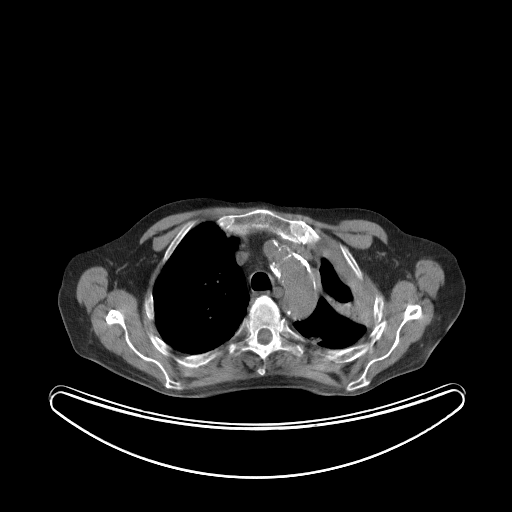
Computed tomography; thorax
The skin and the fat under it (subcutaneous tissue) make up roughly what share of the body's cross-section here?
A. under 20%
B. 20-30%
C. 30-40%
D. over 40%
B. 20-30%
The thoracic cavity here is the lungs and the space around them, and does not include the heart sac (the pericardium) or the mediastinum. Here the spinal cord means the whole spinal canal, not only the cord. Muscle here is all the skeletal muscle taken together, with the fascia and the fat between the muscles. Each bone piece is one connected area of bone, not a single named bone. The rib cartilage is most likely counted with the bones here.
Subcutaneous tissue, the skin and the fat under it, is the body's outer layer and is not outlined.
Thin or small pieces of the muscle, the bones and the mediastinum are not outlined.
{"mediastinum":[[[252,231],[267,231],[284,240],[308,245],[312,248],[316,260],[314,277],[317,302],[306,318],[296,320],[290,325],[287,319],[282,316],[276,302],[266,294],[257,296],[249,305],[250,296],[246,279],[234,256],[239,241],[234,236],[227,236],[244,235]]],"spinal_cord":[[[261,329],[267,329],[268,330],[269,330],[269,331],[271,333],[271,339],[267,343],[261,343],[260,342],[259,342],[259,341],[258,340],[258,333],[259,332],[259,331]]],"muscle":[{"outer":[[212,206],[265,206],[277,211],[307,215],[330,224],[336,224],[345,219],[364,219],[377,223],[386,232],[388,241],[386,244],[376,241],[364,252],[361,265],[386,294],[398,280],[415,267],[416,262],[421,258],[431,258],[442,267],[444,284],[440,288],[438,305],[431,323],[426,327],[422,337],[413,343],[401,358],[379,372],[371,381],[367,377],[371,365],[391,354],[399,343],[403,326],[408,321],[422,317],[421,305],[408,303],[390,347],[385,353],[370,359],[361,373],[346,384],[345,389],[300,376],[264,375],[266,373],[264,363],[256,370],[261,376],[259,377],[183,389],[182,383],[172,378],[159,360],[145,355],[136,348],[129,337],[124,315],[118,309],[110,308],[104,317],[105,322],[109,326],[118,324],[123,330],[124,339],[129,348],[141,359],[159,368],[164,377],[164,387],[162,386],[154,377],[132,366],[101,344],[77,301],[77,282],[86,269],[92,266],[102,266],[118,288],[132,293],[141,302],[155,265],[154,261],[159,254],[152,249],[149,240],[139,243],[143,233],[155,222],[168,215]],"hole":[[256,208],[304,221],[319,234],[318,246],[340,254],[339,243],[348,248],[362,274],[357,281],[372,300],[378,292],[384,299],[382,317],[387,324],[364,354],[337,363],[308,342],[300,357],[276,350],[264,362],[250,350],[233,356],[223,343],[213,359],[189,368],[174,359],[185,353],[172,348],[164,355],[152,344],[148,333],[160,334],[146,315],[144,300],[153,291],[163,255],[181,226],[193,219],[198,224],[214,222]]}],"bones":[{"outer":[[262,295],[270,297],[279,308],[281,316],[286,319],[289,326],[309,342],[305,344],[304,352],[300,357],[285,350],[276,350],[272,352],[264,362],[256,353],[250,350],[243,351],[236,356],[228,352],[224,344],[238,329],[248,312],[248,307],[257,297]],"hole":[[261,329],[267,329],[268,330],[269,330],[269,331],[271,333],[271,339],[267,343],[261,343],[260,342],[259,342],[259,341],[258,340],[258,333],[259,332],[259,331]]},[[256,208],[269,209],[275,213],[288,219],[302,220],[311,226],[319,234],[321,240],[316,245],[310,246],[308,244],[293,242],[290,240],[284,239],[277,234],[267,230],[252,230],[244,234],[230,234],[226,235],[215,222],[218,218],[224,215],[245,213]],[[378,292],[383,296],[384,299],[382,317],[387,321],[387,324],[381,336],[373,345],[364,354],[349,362],[337,363],[332,360],[325,359],[319,354],[317,352],[318,350],[343,349],[359,343],[367,342],[370,339],[368,335],[374,325],[374,299],[375,295]],[[408,304],[420,305],[421,317],[408,320],[402,326],[398,343],[390,354],[370,365],[366,373],[366,377],[370,380],[368,385],[352,391],[346,390],[347,384],[362,373],[370,360],[385,354],[391,347],[395,339],[397,328],[403,319],[403,314]],[[110,309],[116,309],[123,315],[128,337],[135,348],[145,356],[159,361],[168,375],[181,383],[183,387],[182,389],[166,388],[164,385],[165,377],[160,368],[155,363],[144,360],[130,348],[126,342],[124,330],[118,323],[109,325],[106,322],[105,317]],[[218,347],[218,350],[220,353],[217,356],[216,356],[213,359],[210,360],[206,364],[200,365],[198,367],[196,367],[195,368],[189,368],[188,367],[181,366],[179,365],[174,359],[174,356],[183,356],[184,355],[195,355],[196,354],[201,354]],[[193,219],[196,219],[197,220],[197,224],[195,226],[194,226],[183,237],[183,238],[177,245],[171,255],[162,266],[161,264],[161,261],[167,247],[169,245],[173,238],[176,235],[176,234],[180,229],[181,226],[187,221],[189,220],[192,220]],[[339,243],[341,243],[346,247],[347,247],[354,257],[354,258],[356,260],[359,266],[359,268],[361,271],[361,273],[362,274],[362,279],[361,280],[359,280],[354,275],[353,272],[350,269],[350,268],[346,263],[346,261],[340,250],[340,248],[339,247]],[[148,333],[152,333],[154,335],[157,335],[158,336],[159,336],[168,345],[169,345],[171,347],[171,349],[170,350],[170,355],[164,355],[162,353],[161,353],[158,350],[157,350],[155,348],[155,347],[152,344],[152,343],[150,341],[150,339],[148,336]],[[149,291],[150,291],[151,292],[152,292],[152,295],[153,296],[153,307],[154,308],[154,320],[153,321],[151,321],[147,317],[147,316],[146,315],[146,313],[145,312],[145,309],[144,308],[144,300],[148,296],[148,293],[149,292]]],"torso":[[[196,197],[265,200],[285,206],[359,207],[378,212],[404,232],[436,241],[455,256],[466,284],[462,309],[422,367],[359,395],[320,395],[293,388],[250,389],[210,397],[157,392],[78,355],[65,330],[57,295],[65,266],[74,255],[117,238],[163,204]]],"thoracic_cavity":[[[208,221],[214,222],[227,237],[234,237],[237,239],[238,243],[233,256],[235,262],[243,273],[248,291],[249,302],[245,316],[234,333],[224,343],[201,353],[186,354],[172,348],[160,336],[154,321],[155,308],[153,290],[162,267],[184,237],[198,224]],[[312,246],[329,246],[341,253],[345,263],[357,281],[371,294],[371,299],[373,300],[373,325],[371,330],[358,343],[343,348],[322,348],[309,343],[310,342],[304,336],[290,326],[296,321],[306,319],[312,313],[318,302],[318,290],[315,277],[317,260]]]}